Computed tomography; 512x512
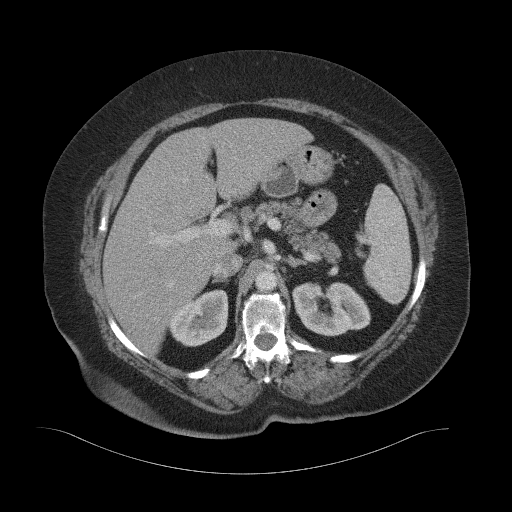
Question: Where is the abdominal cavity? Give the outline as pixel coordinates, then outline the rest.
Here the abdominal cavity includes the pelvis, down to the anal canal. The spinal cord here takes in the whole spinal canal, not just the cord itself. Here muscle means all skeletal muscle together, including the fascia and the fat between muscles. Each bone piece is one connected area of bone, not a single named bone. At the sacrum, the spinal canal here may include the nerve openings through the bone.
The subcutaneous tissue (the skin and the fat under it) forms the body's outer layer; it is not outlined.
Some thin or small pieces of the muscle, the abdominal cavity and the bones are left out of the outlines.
Answer: The abdominal cavity is outlined by (240, 105) (317, 114) (341, 127) (380, 160) (406, 207) (418, 248) (413, 289) (395, 320) (360, 351) (335, 353) (310, 344) (289, 328) (277, 291) (252, 292) (243, 302) (233, 341) (203, 367) (188, 371) (142, 351) (112, 316) (102, 287) (102, 248) (134, 164) (158, 133). The muscle appears in 2 outlined pieces: piece 1: (267, 97) (285, 97) (302, 99) (334, 110) (354, 121) (384, 142) (393, 146) (412, 161) (417, 166) (422, 176) (425, 178) (430, 188) (431, 196) (435, 202) (435, 209) (437, 212) (437, 221) (438, 222) (438, 235) (435, 244) (436, 249) (433, 253) (434, 261) (431, 267) (431, 274) (427, 282) (426, 297) (421, 307) (419, 320) (416, 323) (415, 328) (408, 335) (407, 338) (392, 353) (381, 360) (359, 384) (347, 391) (343, 395) (331, 401) (321, 404) (311, 404) (310, 405) (305, 404) (301, 401) (286, 397) (274, 389) (270, 390) (266, 389) (252, 403) (241, 411) (232, 414) (219, 414) (207, 411) (198, 407) (189, 401) (168, 391) (164, 387) (152, 381) (135, 368) (118, 358) (107, 348) (100, 333) (100, 329) (94, 313) (94, 308) (91, 302) (91, 297) (85, 290) (82, 276) (79, 272) (79, 258) (80, 257) (79, 247) (83, 234) (82, 233) (83, 209) (86, 196) (94, 186) (97, 179) (104, 173) (106, 169) (115, 160) (119, 158) (126, 151) (127, 148) (136, 138) (151, 126) (166, 117) (193, 106) (211, 102) (234, 102) (240, 100) (252, 101); inner edges: (240, 105) (317, 114) (341, 127) (380, 160) (406, 207) (418, 257) (425, 261) (423, 288) (412, 307) (407, 310) (406, 305) (352, 361) (331, 362) (332, 351) (290, 345) (288, 364) (273, 359) (267, 368) (258, 360) (250, 370) (242, 353) (227, 358) (245, 339) (238, 324) (233, 341) (203, 366) (209, 372) (189, 378) (185, 370) (130, 351) (108, 323) (112, 314) (100, 266) (106, 233) (98, 230) (106, 197) (112, 194) (109, 221) (134, 164) (158, 133), then (267, 373) (268, 373) (268, 374) (269, 375) (269, 376) (270, 377) (270, 378) (271, 379) (271, 381) (269, 383) (266, 383) (265, 382) (264, 382) (263, 381) (263, 380) (262, 379) (263, 378) (263, 377); piece 2: (287, 323) (287, 326) (288, 327) (288, 328) (291, 331) (292, 331) (295, 334) (296, 334) (301, 338) (304, 339) (307, 342) (303, 342) (302, 341) (297, 340) (295, 338) (294, 338) (289, 334) (286, 334) (286, 333) (285, 332) (285, 329) (286, 328). The spinal cord is outlined by (265, 333) (267, 333) (268, 334) (271, 334) (272, 335) (273, 335) (276, 338) (276, 341) (275, 342) (275, 343) (269, 349) (267, 349) (266, 350) (264, 350) (263, 349) (261, 349) (260, 348) (259, 348) (255, 344) (255, 339) (256, 338) (256, 337) (260, 334) (264, 334). The bones appear in 6 outlined pieces: piece 1: (254, 292) (262, 294) (277, 292) (285, 306) (285, 334) (322, 351) (297, 350) (290, 345) (288, 364) (285, 365) (273, 359) (267, 368) (264, 361) (258, 360) (251, 370) (246, 366) (242, 353) (235, 358) (227, 358) (239, 342) (245, 339) (241, 325) (241, 311) (244, 302), around a hole outlined by (265, 333) (267, 333) (268, 334) (271, 334) (272, 335) (273, 335) (276, 338) (276, 341) (275, 342) (275, 343) (269, 349) (267, 349) (266, 350) (264, 350) (263, 349) (261, 349) (260, 348) (259, 348) (255, 344) (255, 339) (256, 338) (256, 337) (260, 334) (264, 334); piece 2: (421, 256) (423, 257) (425, 261) (425, 268) (426, 269) (426, 271) (425, 272) (425, 282) (419, 297) (412, 306) (412, 307) (409, 310) (407, 310) (407, 305) (411, 297) (412, 292) (414, 289) (414, 286) (416, 281) (416, 275) (417, 274) (417, 270) (418, 269) (419, 258); piece 3: (109, 316) (111, 316) (113, 318) (113, 319) (116, 322) (117, 325) (127, 337) (127, 338) (138, 349) (139, 349) (142, 352) (146, 354) (148, 356) (148, 357) (144, 357) (137, 353) (134, 353) (130, 351) (117, 338) (117, 337) (111, 329) (108, 323) (108, 317); piece 4: (108, 194) (112, 194) (112, 199) (111, 200) (111, 202) (109, 206) (109, 211) (108, 212) (108, 218) (107, 219) (107, 229) (106, 231) (103, 233) (102, 232) (100, 232) (98, 230) (98, 226) (100, 222) (100, 217) (101, 216) (101, 209) (104, 203) (104, 201); piece 5: (354, 352) (361, 352) (361, 355) (358, 358) (357, 358) (356, 359) (355, 359) (354, 360) (353, 360) (352, 361) (349, 361) (348, 362) (331, 362) (330, 361) (329, 361) (329, 358) (331, 356) (332, 356) (333, 355) (335, 355) (336, 354) (339, 354) (340, 353) (353, 353); piece 6: (205, 367) (208, 367) (209, 368) (209, 372) (205, 376) (204, 376) (203, 377) (202, 377) (201, 378) (189, 378) (188, 377) (187, 377) (186, 376) (186, 373) (187, 372) (188, 372) (189, 371) (194, 371) (195, 370) (198, 370) (199, 369) (201, 369) (202, 368) (204, 368). The torso is outlined by (232, 49) (309, 54) (366, 76) (424, 121) (456, 166) (467, 216) (470, 313) (456, 349) (441, 370) (393, 407) (317, 423) (274, 421) (259, 434) (239, 438) (171, 433) (130, 418) (94, 397) (53, 321) (43, 289) (42, 202) (61, 152) (102, 105) (134, 81) (172, 62).